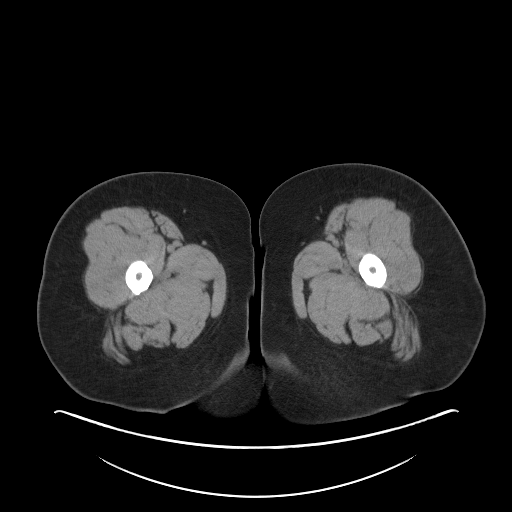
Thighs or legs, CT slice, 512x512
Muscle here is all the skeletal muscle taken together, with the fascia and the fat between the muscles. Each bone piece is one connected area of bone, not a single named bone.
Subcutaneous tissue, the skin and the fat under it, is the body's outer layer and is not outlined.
{"muscle":[{"outer":[[124,205],[143,206],[168,216],[189,240],[214,253],[225,270],[227,282],[226,300],[222,312],[199,341],[171,361],[138,369],[117,364],[104,356],[101,346],[102,316],[87,298],[83,285],[83,274],[87,265],[87,257],[81,244],[84,227],[103,210]],"hole":[[137,259],[140,259],[146,262],[147,265],[152,271],[152,273],[153,274],[153,278],[148,288],[146,290],[141,292],[138,295],[134,295],[132,293],[130,289],[127,286],[125,282],[125,278],[124,276],[125,275],[125,271],[128,265],[132,261],[136,260]]},{"outer":[[372,196],[393,199],[413,217],[412,243],[423,262],[423,281],[411,300],[411,305],[419,322],[421,350],[419,355],[407,364],[371,362],[336,349],[321,337],[316,336],[297,318],[292,304],[291,272],[293,260],[297,253],[315,239],[334,206],[351,198]],"hole":[[367,252],[371,252],[378,256],[381,259],[386,268],[387,277],[383,285],[383,287],[381,288],[377,288],[376,287],[373,287],[372,286],[369,286],[367,285],[365,283],[365,282],[363,280],[359,273],[359,271],[358,270],[358,263],[362,256]]}],"bones":[[[367,252],[371,252],[378,256],[381,259],[386,268],[387,277],[383,285],[383,287],[381,288],[377,288],[376,287],[373,287],[372,286],[369,286],[367,285],[365,283],[365,282],[363,280],[359,273],[359,271],[358,270],[358,263],[362,256]],[[137,259],[140,259],[146,262],[147,265],[152,271],[152,273],[153,274],[153,278],[148,288],[146,290],[141,292],[138,295],[134,295],[132,293],[130,289],[127,286],[125,282],[125,278],[124,276],[125,275],[125,271],[128,265],[132,261],[136,260]]],"left_leg":[[[342,162],[372,163],[401,171],[424,185],[438,199],[470,252],[485,295],[485,324],[468,366],[446,388],[417,395],[402,405],[365,417],[315,425],[292,424],[277,417],[270,407],[259,352],[263,250],[259,244],[258,220],[264,202],[280,183],[301,171]]],"right_leg":[[[150,170],[216,180],[235,191],[248,208],[255,254],[248,337],[251,355],[262,363],[265,390],[257,407],[246,415],[212,418],[196,413],[192,405],[154,413],[86,399],[67,385],[41,345],[36,324],[37,293],[46,246],[59,217],[93,185],[117,175]]]}